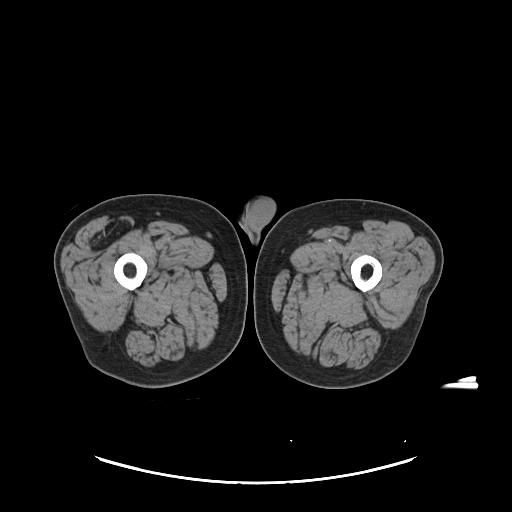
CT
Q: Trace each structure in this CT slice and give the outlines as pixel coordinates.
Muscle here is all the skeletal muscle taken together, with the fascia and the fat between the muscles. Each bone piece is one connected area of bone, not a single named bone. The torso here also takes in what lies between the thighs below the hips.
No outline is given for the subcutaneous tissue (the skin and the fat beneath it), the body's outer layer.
A: Outlines:
torso: 254 194; 264 194; 265 195; 271 196; 274 199; 275 199; 278 205; 278 208; 275 215; 270 221; 270 222; 263 228; 258 245; 255 247; 251 246; 248 236; 238 223; 235 216; 235 212; 240 207; 240 200; 242 199; 246 199
right leg: 152 193; 196 198; 211 204; 228 218; 238 234; 245 255; 247 265; 247 311; 245 325; 239 342; 230 355; 219 365; 202 375; 175 385; 143 388; 114 379; 89 364; 73 329; 57 284; 53 255; 57 241; 67 224; 85 209; 116 196
left leg: 335 198; 377 200; 406 209; 421 218; 433 229; 443 250; 441 276; 428 300; 423 323; 408 358; 396 370; 377 381; 342 389; 309 385; 280 370; 266 355; 258 340; 254 325; 253 307; 255 264; 260 246; 272 226; 283 214; 295 207
muscle 1: 114 213; 137 213; 181 223; 201 235; 221 254; 228 275; 228 292; 222 320; 211 344; 200 355; 183 366; 168 371; 148 371; 137 368; 128 361; 122 351; 112 341; 87 323; 68 292; 60 267; 61 252; 68 237; 81 224; 94 218, around a hole outlined by 127 252; 134 252; 140 255; 144 259; 147 264; 147 271; 146 272; 146 275; 145 277; 143 279; 141 284; 138 287; 133 290; 129 290; 123 287; 116 280; 113 273; 113 267; 116 260; 122 254; 126 253
muscle 2: 365 219; 397 219; 415 228; 427 239; 431 245; 435 255; 434 270; 417 306; 379 358; 372 362; 367 367; 357 371; 346 373; 319 371; 296 358; 280 339; 273 320; 272 312; 271 288; 273 280; 288 255; 310 229; 333 222; 356 221, around a hole outlined by 361 254; 369 254; 375 257; 380 262; 381 264; 381 266; 382 267; 382 275; 378 283; 373 288; 365 292; 363 292; 355 286; 351 278; 351 273; 350 272; 350 266; 351 265; 351 263; 356 257; 357 257
bones 1: 127 252; 134 252; 140 255; 144 259; 147 264; 147 271; 146 272; 146 275; 145 277; 143 279; 141 284; 138 287; 133 290; 129 290; 123 287; 116 280; 113 273; 113 267; 116 260; 122 254; 126 253
bones 2: 361 254; 369 254; 375 257; 380 262; 381 264; 381 266; 382 267; 382 275; 378 283; 373 288; 365 292; 363 292; 355 286; 351 278; 351 273; 350 272; 350 266; 351 265; 351 263; 356 257; 357 257